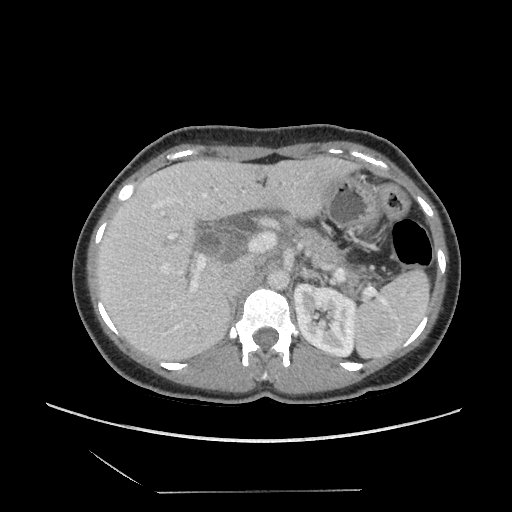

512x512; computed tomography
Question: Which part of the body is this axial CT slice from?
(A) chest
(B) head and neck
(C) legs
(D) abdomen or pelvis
Answer: (D) abdomen or pelvis
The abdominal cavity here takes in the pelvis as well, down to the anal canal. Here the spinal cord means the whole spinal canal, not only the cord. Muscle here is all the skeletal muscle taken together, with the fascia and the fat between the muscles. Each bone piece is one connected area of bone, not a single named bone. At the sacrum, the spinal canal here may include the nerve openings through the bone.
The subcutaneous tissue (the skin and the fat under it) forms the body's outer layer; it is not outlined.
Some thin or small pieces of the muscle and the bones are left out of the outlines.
{"abdominal_cavity":[[[271,154],[358,158],[409,192],[435,248],[435,278],[425,313],[386,355],[341,361],[308,344],[292,321],[287,298],[260,286],[245,297],[227,337],[203,353],[180,362],[142,352],[120,333],[98,291],[98,247],[114,214],[136,184],[173,162]]],"bones":[{"outer":[[260,287],[274,290],[286,298],[291,321],[299,332],[292,337],[290,343],[288,366],[283,365],[282,356],[274,351],[267,356],[262,356],[256,351],[250,352],[248,364],[244,365],[239,340],[237,338],[230,339],[228,336],[230,328],[242,315],[246,297]],"hole":[[264,327],[270,327],[271,328],[274,329],[277,332],[277,333],[278,334],[278,337],[277,338],[277,340],[271,346],[270,346],[267,349],[263,349],[257,343],[256,343],[255,342],[255,341],[253,338],[253,334],[259,329],[260,329],[261,328],[263,328]]},[[350,150],[356,150],[359,152],[361,152],[367,155],[369,155],[376,159],[379,159],[380,160],[382,160],[388,166],[388,169],[387,170],[385,170],[374,164],[372,164],[369,162],[364,161],[360,159],[358,157],[351,156],[348,152]],[[100,298],[100,299],[101,300],[101,301],[102,302],[109,317],[111,319],[113,324],[119,332],[120,335],[117,335],[114,332],[113,332],[108,327],[108,326],[103,320],[103,319],[99,312],[99,310],[98,309],[98,306],[97,305],[97,303],[100,299]],[[424,314],[425,314],[427,317],[427,321],[425,324],[425,326],[424,328],[422,330],[420,334],[413,341],[412,341],[408,345],[403,347],[402,346],[402,344],[408,338],[408,337],[412,333],[412,332],[418,325],[418,324],[422,319],[422,317],[424,315]],[[129,183],[130,184],[132,184],[132,185],[133,186],[133,190],[132,191],[131,194],[129,196],[129,197],[128,197],[126,199],[125,199],[124,200],[119,200],[117,198],[117,195],[118,194],[119,191],[124,185],[125,185],[126,184],[128,184]],[[186,149],[192,149],[194,151],[194,153],[193,154],[190,154],[189,155],[182,156],[174,160],[169,160],[166,158],[166,155],[167,154],[169,154],[170,153],[173,153],[174,152],[176,152],[177,151],[180,151],[181,150],[185,150]],[[343,361],[351,361],[352,362],[360,362],[361,363],[364,363],[364,366],[363,367],[362,367],[360,369],[359,369],[358,370],[347,370],[346,369],[345,369],[343,367],[342,367],[339,364],[339,363],[340,362],[342,362]],[[159,361],[165,361],[166,362],[179,362],[180,363],[187,363],[187,365],[185,367],[183,367],[181,369],[167,369],[166,368],[165,368],[164,367],[163,367],[162,366],[161,366],[159,364]],[[437,248],[440,248],[442,250],[442,251],[444,254],[444,256],[445,257],[445,271],[444,272],[444,273],[443,273],[442,274],[441,273],[441,272],[440,271],[440,270],[438,267],[438,264],[437,263],[437,256],[436,255],[436,250],[437,249]],[[416,196],[420,196],[423,199],[424,199],[427,202],[427,203],[430,206],[430,207],[432,209],[432,210],[433,211],[433,216],[432,217],[431,217],[430,216],[428,216],[425,213],[424,213],[424,212],[423,211],[422,208],[420,206],[420,205],[416,200]],[[103,222],[106,222],[107,223],[107,224],[106,225],[106,227],[103,232],[103,234],[101,237],[101,239],[100,240],[99,243],[98,243],[97,244],[96,243],[95,243],[95,236],[96,235],[96,233],[97,232],[97,230],[98,229],[98,228]]],"muscle":[{"outer":[[334,140],[342,140],[343,141],[350,141],[359,143],[369,148],[376,150],[385,155],[410,177],[428,196],[438,212],[439,217],[441,220],[443,232],[445,237],[445,242],[448,251],[449,267],[447,273],[445,293],[443,297],[441,309],[433,327],[427,337],[419,346],[402,357],[394,360],[391,363],[366,376],[360,381],[342,388],[308,393],[307,394],[295,394],[293,395],[292,394],[282,393],[276,390],[270,384],[263,383],[252,390],[241,393],[233,393],[232,392],[224,392],[215,390],[207,390],[197,387],[182,385],[179,383],[171,381],[158,374],[156,374],[150,369],[141,365],[130,358],[122,352],[104,333],[93,310],[92,303],[89,295],[89,290],[87,285],[87,274],[86,273],[87,249],[93,229],[101,216],[102,212],[117,187],[126,178],[136,171],[142,165],[164,150],[182,143],[199,143],[207,145],[211,144],[218,144],[219,145],[225,144],[226,145],[239,145],[240,146],[255,145],[256,146],[265,146],[266,147],[277,148],[281,146],[286,146],[297,143],[322,142],[323,141],[333,141]],"holes":[[[330,148],[343,150],[336,155],[356,150],[382,160],[385,171],[433,211],[432,217],[423,214],[435,249],[444,254],[445,271],[436,265],[427,321],[413,341],[347,370],[299,333],[292,337],[288,366],[274,351],[267,356],[250,352],[244,365],[239,340],[228,336],[184,361],[185,367],[167,369],[108,327],[97,305],[95,236],[124,201],[117,198],[124,185],[134,188],[168,164],[195,156],[295,158],[329,154]],[[186,149],[192,149],[194,151],[194,153],[193,154],[190,154],[189,155],[182,156],[174,160],[169,160],[166,158],[166,155],[167,154],[169,154],[170,153],[173,153],[174,152],[176,152],[177,151],[180,151],[181,150],[185,150]],[[265,371],[266,371],[267,372],[267,373],[267,374],[267,375],[267,376],[267,377],[267,378],[267,379],[266,380],[265,380],[264,380],[263,380],[262,380],[261,379],[261,378],[261,377],[262,376],[262,375],[263,374],[263,373],[264,372]]]}],"torso":[[[317,123],[362,129],[391,141],[438,195],[450,217],[461,257],[459,294],[449,326],[428,361],[390,388],[315,405],[288,405],[266,396],[235,405],[178,399],[118,374],[98,351],[81,321],[71,277],[80,231],[107,186],[141,149],[180,127],[270,128]]],"spinal_cord":[[[264,327],[270,327],[271,328],[274,329],[277,332],[277,333],[278,334],[278,337],[277,338],[277,340],[271,346],[270,346],[267,349],[263,349],[257,343],[256,343],[255,342],[255,341],[253,338],[253,334],[259,329],[260,329],[261,328],[263,328]]]}